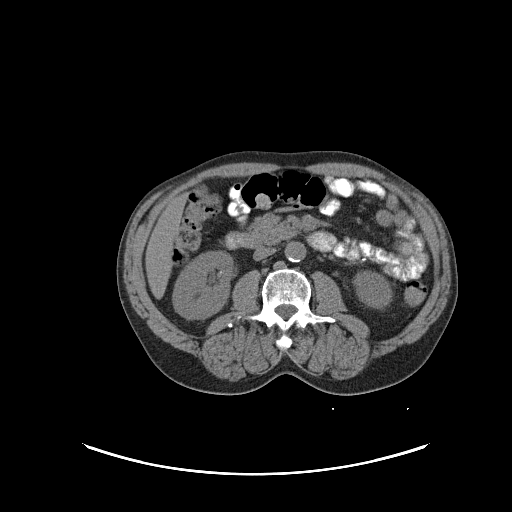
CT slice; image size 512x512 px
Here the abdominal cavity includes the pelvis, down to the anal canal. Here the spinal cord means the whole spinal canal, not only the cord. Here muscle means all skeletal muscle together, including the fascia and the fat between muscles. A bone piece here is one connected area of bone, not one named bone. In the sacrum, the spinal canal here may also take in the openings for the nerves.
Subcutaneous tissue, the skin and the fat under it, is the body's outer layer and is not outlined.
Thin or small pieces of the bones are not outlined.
{"abdominal_cavity":[[[287,168],[373,179],[417,220],[431,252],[433,283],[425,303],[399,332],[372,339],[329,275],[316,270],[307,276],[293,267],[276,268],[265,277],[257,269],[244,273],[233,286],[230,311],[202,334],[184,331],[156,306],[142,254],[168,201],[204,181]]],"muscle":[{"outer":[[236,162],[267,162],[278,165],[290,165],[291,164],[310,165],[320,162],[350,162],[368,166],[380,171],[385,175],[401,183],[412,192],[417,194],[431,208],[439,220],[445,234],[449,253],[449,264],[451,274],[451,283],[449,288],[450,291],[447,297],[446,306],[435,324],[418,340],[373,361],[355,376],[347,379],[331,379],[311,375],[303,371],[290,359],[286,357],[270,370],[263,374],[260,374],[248,380],[241,380],[233,382],[216,377],[207,370],[195,356],[188,352],[172,346],[169,343],[163,341],[156,336],[142,322],[132,308],[125,283],[123,280],[123,261],[124,260],[125,244],[133,218],[137,211],[146,200],[153,194],[168,185],[174,184],[202,170],[222,164]],"hole":[[287,168],[321,176],[373,179],[417,220],[431,252],[433,283],[425,303],[399,332],[372,339],[368,325],[349,313],[337,283],[320,270],[307,277],[311,285],[309,307],[335,321],[304,328],[293,325],[286,332],[291,344],[285,350],[276,345],[282,334],[276,325],[268,327],[245,318],[262,307],[265,277],[257,269],[235,282],[230,311],[214,318],[202,334],[184,331],[156,306],[146,287],[142,254],[168,201],[204,181]]}],"bones":[{"outer":[[280,268],[293,268],[304,273],[311,285],[309,302],[311,311],[335,319],[334,322],[308,324],[304,328],[293,325],[286,332],[291,344],[285,350],[276,345],[276,340],[282,334],[276,325],[268,327],[263,322],[245,318],[260,311],[263,281],[269,272]],"hole":[[280,305],[292,305],[293,306],[294,306],[296,308],[296,311],[293,314],[292,314],[287,319],[284,319],[281,316],[280,316],[276,312],[276,311],[275,310],[275,309],[278,306],[279,306]]}],"spinal_cord":[[[280,305],[292,305],[293,306],[294,306],[296,308],[296,311],[293,314],[292,314],[287,319],[284,319],[281,316],[280,316],[276,312],[276,311],[275,310],[275,309],[278,306],[279,306]]],"torso":[[[242,150],[357,153],[405,178],[435,204],[453,241],[458,294],[443,334],[415,373],[392,386],[356,395],[326,393],[289,374],[282,374],[251,392],[218,395],[184,387],[152,363],[131,328],[118,295],[116,258],[125,224],[138,201],[158,183],[212,157]]]}